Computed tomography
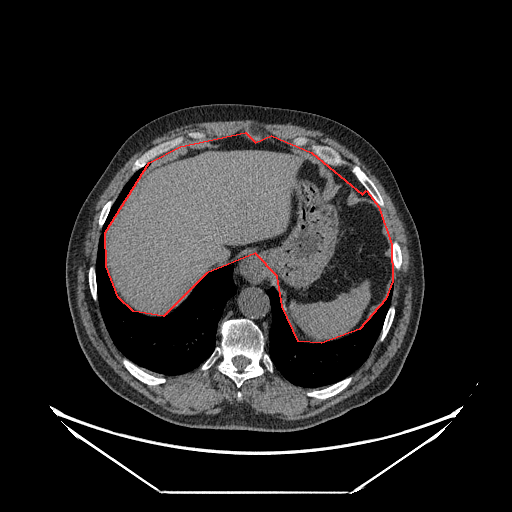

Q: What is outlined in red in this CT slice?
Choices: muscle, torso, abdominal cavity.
A: red: abdominal cavity.
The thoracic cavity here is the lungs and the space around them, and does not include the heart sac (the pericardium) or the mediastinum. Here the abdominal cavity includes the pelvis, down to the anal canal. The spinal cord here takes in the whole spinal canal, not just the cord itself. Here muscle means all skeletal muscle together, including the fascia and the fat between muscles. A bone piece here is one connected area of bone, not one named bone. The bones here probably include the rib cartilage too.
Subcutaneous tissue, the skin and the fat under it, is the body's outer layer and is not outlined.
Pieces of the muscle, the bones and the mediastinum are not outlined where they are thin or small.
The abdominal cavity is outlined by (245, 132) (255, 142) (271, 135) (311, 152) (362, 194) (366, 190) (378, 206) (391, 244) (392, 281) (385, 299) (359, 329) (321, 343) (298, 341) (282, 306) (277, 276) (255, 253) (206, 273) (163, 316) (133, 311) (118, 297) (106, 266) (105, 232) (149, 162) (180, 146). The muscle is outlined by (235, 120) (254, 120) (255, 121) (271, 123) (272, 124) (292, 124) (293, 125) (303, 127) (306, 129) (321, 131) (326, 135) (335, 139) (338, 142) (344, 145) (355, 154) (379, 180) (380, 183) (389, 195) (397, 211) (397, 213) (403, 223) (405, 232) (407, 236) (408, 250) (410, 256) (412, 297) (411, 298) (411, 314) (410, 315) (410, 319) (401, 345) (378, 376) (369, 384) (359, 391) (352, 394) (341, 401) (337, 402) (332, 406) (328, 407) (321, 412) (301, 419) (285, 420) (284, 419) (270, 417) (261, 412) (256, 411) (246, 403) (233, 403) (232, 404) (229, 404) (225, 406) (221, 411) (218, 412) (215, 415) (187, 415) (186, 414) (179, 414) (178, 413) (171, 412) (153, 402) (150, 399) (129, 385) (124, 381) (101, 357) (92, 344) (86, 333) (85, 328) (80, 317) (79, 310) (77, 307) (77, 300) (76, 299) (77, 267) (80, 258) (80, 254) (81, 253) (86, 230) (88, 227) (93, 211) (100, 196) (107, 187) (113, 177) (124, 165) (126, 161) (151, 140) (153, 140) (155, 138) (161, 136) (175, 128) (180, 127) (183, 125) (193, 124) (194, 123) (200, 123) (201, 122) (234, 121); inner edges: (189, 131) (202, 132) (210, 141) (248, 131) (291, 146) (304, 136) (309, 142) (299, 148) (310, 152) (311, 143) (331, 147) (345, 167) (359, 166) (379, 191) (389, 242) (396, 240) (402, 255) (391, 275) (395, 314) (384, 339) (377, 338) (350, 383) (335, 395) (308, 396) (314, 388) (292, 383) (275, 368) (238, 388) (216, 363) (205, 370) (156, 373) (166, 379) (156, 385) (140, 381) (123, 365) (88, 283) (102, 231) (100, 212) (131, 177) (136, 159), then (238, 390) (239, 390) (240, 391) (241, 392) (241, 393) (241, 394) (241, 395) (241, 396) (241, 397) (241, 398) (240, 399) (239, 400) (238, 400) (237, 399) (236, 398) (236, 397) (236, 396) (236, 395) (236, 394) (237, 393) (237, 392) (237, 391). The torso is outlined by (213, 103) (296, 109) (351, 128) (389, 166) (418, 232) (424, 269) (423, 302) (415, 338) (397, 378) (384, 393) (313, 427) (264, 432) (191, 428) (160, 419) (112, 391) (96, 375) (74, 331) (66, 294) (65, 260) (70, 234) (85, 198) (122, 143) (138, 128) (171, 111). The bones appear in 12 outlined pieces: piece 1: (232, 318) (246, 318) (251, 320) (258, 326) (265, 337) (264, 348) (274, 366) (274, 371) (272, 373) (265, 370) (259, 376) (246, 379) (239, 388) (231, 378) (219, 371) (216, 363) (205, 370) (200, 369) (200, 366) (210, 356) (215, 347) (219, 343) (219, 324) (224, 320) with a hole at (240, 355) (241, 355) (242, 356) (243, 356) (244, 357) (245, 357) (246, 358) (247, 358) (249, 360) (249, 362) (243, 368) (243, 369) (241, 371) (239, 371) (239, 370) (234, 365) (234, 364) (232, 361) (232, 360) (234, 357) (235, 357) (236, 356) (239, 356); piece 2: (189, 131) (202, 132) (206, 135) (206, 139) (201, 141) (196, 141) (193, 139) (187, 138) (183, 142) (183, 145) (180, 145) (176, 149) (154, 157) (144, 166) (141, 167) (133, 173) (131, 172) (131, 168) (135, 160) (150, 148) (162, 142) (174, 139) (179, 136) (185, 136); piece 3: (123, 357) (127, 358) (131, 362) (132, 362) (149, 374) (151, 374) (152, 375) (154, 375) (158, 377) (164, 377) (166, 379) (166, 381) (164, 383) (162, 383) (161, 384) (157, 384) (156, 385) (148, 385) (140, 381) (137, 378) (132, 375) (123, 365) (121, 361); piece 4: (311, 143) (317, 143) (321, 145) (325, 145) (326, 146) (329, 146) (331, 147) (333, 149) (334, 149) (341, 156) (341, 157) (344, 160) (346, 161) (346, 163) (343, 165) (331, 165) (328, 163) (326, 163) (323, 160) (322, 160) (311, 151) (310, 149) (310, 145); piece 5: (354, 165) (357, 165) (359, 166) (359, 167) (373, 181) (382, 197) (382, 199) (384, 203) (383, 206) (379, 206) (376, 203) (376, 202) (373, 199) (373, 198) (370, 195) (370, 194) (367, 191) (367, 190) (364, 187) (364, 186) (357, 179) (356, 176) (351, 171) (351, 168); piece 6: (350, 375) (352, 376) (352, 380) (350, 383) (344, 389) (335, 395) (333, 395) (325, 399) (319, 399) (318, 398) (315, 398) (314, 397) (308, 396) (306, 394) (308, 391) (311, 391) (315, 389) (321, 389) (322, 388) (327, 387) (330, 385) (332, 385); piece 7: (391, 305) (394, 305) (395, 307) (395, 314) (394, 315) (394, 317) (393, 318) (392, 323) (389, 328) (389, 330) (386, 336) (382, 341) (379, 341) (379, 336) (382, 330) (382, 327) (383, 326) (383, 324) (385, 320) (385, 317) (388, 311) (388, 309); piece 8: (394, 240) (396, 240) (398, 242) (398, 243) (400, 246) (400, 249) (401, 250) (401, 254) (402, 255) (402, 263) (401, 264) (401, 266) (399, 269) (396, 269) (393, 266) (393, 264) (392, 263) (392, 256) (391, 255) (392, 254) (392, 248) (391, 247) (392, 246) (392, 243); piece 9: (90, 266) (94, 266) (94, 268) (95, 269) (95, 279) (96, 280) (96, 285) (97, 286) (97, 300) (96, 301) (95, 301) (94, 300) (93, 300) (93, 299) (92, 298) (92, 295) (91, 294) (91, 292) (90, 291) (90, 289) (89, 288) (89, 284) (88, 283) (88, 269); piece 10: (109, 200) (114, 200) (114, 201) (112, 203) (112, 204) (110, 207) (110, 209) (108, 212) (108, 214) (105, 219) (105, 221) (104, 222) (102, 227) (101, 228) (99, 228) (98, 227) (98, 220) (99, 219) (99, 216) (100, 215) (100, 212) (101, 211) (103, 206); piece 11: (302, 136) (304, 136) (305, 137) (307, 137) (309, 139) (309, 142) (306, 145) (303, 145) (302, 146) (294, 146) (292, 144) (292, 140) (294, 138) (295, 138) (296, 137) (301, 137); piece 12: (246, 131) (248, 131) (252, 135) (253, 135) (254, 136) (258, 136) (260, 138) (260, 140) (259, 141) (255, 141) (254, 140) (253, 140) (252, 139) (250, 139) (249, 138) (248, 138) (246, 136). The mediastinum appears in 2 outlined pieces: piece 1: (248, 254) (255, 254) (268, 266) (268, 268) (276, 276) (282, 296) (281, 298) (280, 294) (273, 286) (270, 286) (267, 290) (271, 312) (271, 323) (267, 338) (259, 326) (249, 318) (232, 317) (224, 319) (220, 322) (226, 303) (237, 292) (233, 279) (234, 266) (231, 264); piece 2: (331, 166) (344, 166) (348, 168) (355, 176) (356, 179) (363, 186) (365, 189) (365, 193) (362, 193) (358, 188) (358, 186) (356, 185) (353, 181) (349, 179) (344, 179) (343, 177) (340, 177) (340, 176) (338, 175) (338, 174) (336, 173) (333, 169) (332, 169). The thoracic cavity appears in 2 outlined pieces: piece 1: (148, 163) (104, 232) (105, 266) (121, 303) (147, 317) (166, 316) (188, 297) (206, 274) (228, 265) (233, 266) (236, 288) (223, 307) (217, 326) (219, 340) (212, 352) (199, 366) (175, 375) (149, 373) (124, 356) (110, 336) (98, 302) (95, 265) (102, 228) (125, 184); piece 2: (392, 282) (390, 305) (380, 333) (366, 359) (351, 374) (327, 386) (310, 388) (292, 383) (275, 368) (265, 348) (266, 338) (268, 338) (272, 323) (268, 293) (270, 287) (273, 287) (280, 296) (285, 318) (295, 339) (303, 344) (321, 344) (343, 338) (365, 325) (386, 299). The spinal cord is outlined by (240, 355) (241, 355) (242, 356) (243, 356) (244, 357) (245, 357) (246, 358) (247, 358) (249, 360) (249, 362) (243, 368) (243, 369) (241, 371) (239, 371) (239, 370) (234, 365) (234, 364) (232, 361) (232, 360) (234, 357) (235, 357) (236, 356) (239, 356).